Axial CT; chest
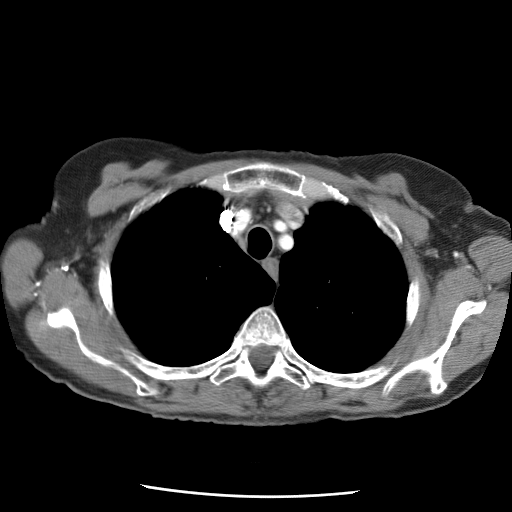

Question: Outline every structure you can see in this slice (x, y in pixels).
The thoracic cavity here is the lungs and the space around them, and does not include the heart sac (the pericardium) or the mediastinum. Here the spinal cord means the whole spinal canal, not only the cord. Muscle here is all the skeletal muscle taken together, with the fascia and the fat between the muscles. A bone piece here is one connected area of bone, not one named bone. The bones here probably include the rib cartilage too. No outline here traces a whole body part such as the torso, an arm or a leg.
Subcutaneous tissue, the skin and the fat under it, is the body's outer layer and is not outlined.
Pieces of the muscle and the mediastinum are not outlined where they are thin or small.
Answer: {"mediastinum":[[[264,189],[286,193],[305,199],[313,204],[301,226],[293,233],[293,247],[284,253],[280,258],[279,286],[275,292],[276,286],[274,281],[257,262],[241,249],[232,237],[223,230],[219,223],[220,214],[223,210],[223,199],[219,193],[227,191],[240,193]]],"bones":[{"outer":[[468,299],[484,299],[486,305],[456,331],[441,366],[447,387],[439,394],[431,393],[428,376],[419,370],[404,375],[386,396],[382,390],[387,376],[360,388],[314,382],[306,389],[281,377],[262,388],[240,376],[219,385],[208,376],[160,380],[138,369],[119,349],[123,346],[164,366],[197,365],[225,352],[249,315],[269,306],[295,351],[312,365],[345,374],[397,359],[392,374],[436,350],[446,338],[458,304]],"hole":[[259,345],[265,345],[266,346],[272,347],[273,348],[273,350],[272,351],[272,354],[273,355],[272,361],[269,365],[269,366],[266,369],[262,371],[258,371],[256,370],[250,362],[250,360],[249,359],[249,355],[250,354],[250,352],[252,348],[256,347]]},[[261,160],[285,165],[306,176],[323,181],[337,188],[341,193],[347,196],[350,200],[350,204],[345,205],[332,200],[318,201],[311,203],[305,198],[279,190],[267,188],[240,192],[228,190],[223,192],[217,192],[214,190],[195,186],[197,182],[215,174]],[[61,307],[67,307],[71,311],[79,329],[81,340],[90,350],[117,363],[144,382],[156,386],[159,392],[155,395],[138,395],[134,382],[128,376],[87,357],[81,351],[75,333],[71,328],[66,326],[59,328],[50,327],[46,323],[47,313],[56,311]],[[100,258],[105,259],[108,262],[110,266],[112,297],[113,298],[113,305],[114,306],[114,310],[116,314],[116,319],[115,319],[108,313],[105,306],[103,304],[103,301],[100,296],[100,294],[98,290],[98,287],[97,286],[97,274],[98,273],[98,260]],[[372,206],[375,208],[378,208],[385,211],[389,215],[391,219],[395,223],[399,229],[402,236],[402,244],[400,249],[399,249],[395,245],[395,244],[389,237],[388,237],[382,232],[382,231],[377,226],[373,219],[370,216],[369,209],[370,209]],[[167,186],[170,186],[171,187],[170,189],[170,193],[161,201],[155,204],[148,210],[145,211],[139,215],[133,221],[127,225],[125,228],[126,221],[127,220],[129,212],[132,207],[139,200],[145,196],[150,191],[153,191],[160,188],[164,188]],[[414,276],[417,276],[419,278],[419,283],[420,284],[420,298],[419,299],[419,305],[418,306],[417,313],[411,325],[405,331],[404,330],[404,328],[405,327],[405,309],[406,308],[406,299],[407,298],[407,294],[408,293],[409,283],[410,281],[414,277]]],"thoracic_cavity":[[[192,186],[220,195],[220,227],[273,281],[275,293],[281,258],[294,247],[294,233],[313,205],[359,208],[399,250],[405,266],[404,327],[395,343],[360,371],[318,367],[294,348],[274,294],[213,358],[175,366],[142,355],[115,310],[114,252],[127,226]]],"spinal_cord":[[[259,345],[265,345],[266,346],[272,347],[273,348],[273,350],[272,351],[272,354],[273,355],[272,361],[269,365],[269,366],[266,369],[262,371],[258,371],[256,370],[250,362],[250,360],[249,359],[249,355],[250,354],[250,352],[252,348],[256,347]]],"muscle":[{"outer":[[241,157],[308,162],[370,180],[389,171],[400,173],[411,195],[435,217],[429,220],[427,243],[418,251],[433,278],[459,264],[477,238],[497,234],[511,240],[508,297],[491,355],[448,387],[443,377],[444,357],[457,331],[487,305],[484,298],[468,298],[457,304],[444,340],[432,352],[392,373],[397,358],[373,366],[412,325],[420,305],[420,278],[414,275],[408,280],[400,229],[385,210],[372,205],[368,215],[337,187],[261,159],[172,193],[170,185],[150,190],[131,207],[110,265],[105,258],[97,260],[96,286],[102,304],[141,354],[123,345],[118,349],[138,370],[160,381],[208,377],[219,386],[240,377],[262,389],[281,378],[306,390],[314,383],[360,389],[387,377],[381,390],[386,397],[404,376],[419,371],[427,376],[430,393],[438,395],[376,412],[320,411],[266,418],[162,412],[90,384],[47,358],[7,299],[1,263],[8,244],[18,236],[32,239],[49,259],[62,258],[70,264],[83,282],[104,231],[100,218],[89,217],[87,200],[106,164],[127,161],[136,167],[165,158],[177,170]],"hole":[[61,307],[67,307],[71,311],[79,329],[81,340],[90,350],[117,363],[144,382],[156,386],[159,392],[155,395],[138,395],[134,382],[128,376],[87,357],[81,351],[75,333],[71,328],[66,326],[59,328],[50,327],[46,323],[47,313],[56,311]]}]}